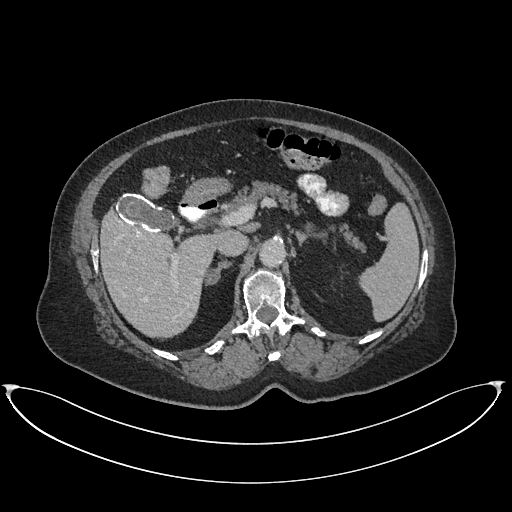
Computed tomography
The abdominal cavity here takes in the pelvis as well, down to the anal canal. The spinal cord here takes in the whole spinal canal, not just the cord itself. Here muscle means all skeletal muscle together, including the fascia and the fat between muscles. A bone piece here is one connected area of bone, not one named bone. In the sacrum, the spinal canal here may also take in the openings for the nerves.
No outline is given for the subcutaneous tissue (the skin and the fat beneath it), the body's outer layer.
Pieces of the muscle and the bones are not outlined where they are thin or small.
{"abdominal_cavity":[[[247,120],[297,127],[363,150],[408,202],[422,249],[417,281],[401,311],[382,327],[363,336],[329,331],[280,271],[262,267],[243,279],[241,289],[234,283],[230,319],[198,347],[156,347],[115,311],[100,274],[92,216],[106,180],[145,147]]],"bones":[{"outer":[[259,268],[281,273],[286,287],[284,301],[286,310],[291,314],[303,317],[306,321],[304,324],[294,324],[283,335],[275,330],[272,342],[264,333],[252,339],[249,339],[245,333],[230,333],[237,323],[243,323],[247,318],[242,284],[248,275]],"hole":[[264,306],[271,306],[272,307],[275,308],[277,310],[277,315],[275,317],[275,318],[273,320],[272,320],[269,323],[266,323],[265,322],[263,322],[262,321],[261,321],[259,319],[258,319],[256,316],[256,314],[257,313],[257,312],[261,308],[262,308]]},[[424,248],[426,248],[427,249],[427,274],[426,275],[426,277],[424,279],[424,281],[421,287],[415,293],[415,288],[416,287],[416,285],[418,281],[418,277],[419,276],[419,272],[420,271],[420,265],[421,264],[421,258],[422,257],[422,250]],[[93,243],[95,243],[96,244],[99,250],[98,251],[98,255],[97,256],[97,259],[98,260],[98,266],[99,267],[99,272],[98,274],[96,274],[94,271],[94,269],[93,268],[93,264],[92,263],[92,259],[91,258],[91,254],[90,253],[90,249]],[[219,339],[223,339],[225,341],[225,343],[222,346],[222,347],[221,348],[221,349],[218,352],[216,352],[213,354],[208,354],[207,353],[206,353],[204,351],[204,348],[205,347],[207,347],[208,346],[209,346],[212,343],[213,343],[215,341],[216,341]],[[380,328],[383,328],[383,331],[382,332],[382,333],[379,336],[378,336],[373,340],[372,340],[367,343],[365,343],[364,344],[359,344],[357,342],[361,338],[362,338],[365,335],[366,335],[369,333],[371,333],[373,331],[374,331],[377,329],[379,329]],[[152,346],[156,348],[159,348],[160,349],[162,349],[163,350],[165,350],[166,351],[171,352],[174,355],[177,356],[179,359],[178,360],[170,360],[169,359],[164,358],[158,355],[156,353],[155,353],[152,350],[151,348]],[[273,350],[278,350],[279,351],[279,352],[280,353],[280,357],[277,360],[275,360],[274,361],[269,361],[268,360],[268,359],[267,358],[267,356],[268,355],[268,354],[269,353],[269,352],[270,351],[272,351]],[[313,326],[317,326],[318,327],[319,327],[322,330],[323,330],[324,331],[325,331],[326,332],[326,335],[325,336],[323,336],[322,337],[321,336],[318,336],[317,335],[316,335],[315,334],[314,334],[310,330],[310,328],[311,327],[312,327]]],"torso":[[[226,98],[288,101],[351,117],[397,140],[423,166],[442,197],[455,240],[457,332],[441,360],[388,386],[336,400],[305,403],[275,387],[247,406],[213,410],[129,392],[63,362],[47,348],[35,313],[47,274],[52,216],[68,177],[114,135],[184,107]]],"spinal_cord":[[[264,306],[271,306],[272,307],[275,308],[277,310],[277,315],[275,317],[275,318],[273,320],[272,320],[269,323],[266,323],[265,322],[263,322],[262,321],[261,321],[259,319],[258,319],[256,316],[256,314],[257,313],[257,312],[261,308],[262,308]]],"muscle":[{"outer":[[253,115],[285,118],[329,126],[351,134],[358,139],[375,146],[390,156],[403,168],[414,182],[433,224],[435,241],[434,266],[426,291],[424,305],[425,314],[423,320],[411,333],[403,339],[394,343],[390,347],[376,353],[365,363],[355,369],[337,378],[319,382],[311,379],[301,378],[297,374],[286,370],[278,362],[271,362],[254,377],[244,379],[240,384],[225,390],[212,390],[188,383],[147,361],[116,348],[107,343],[97,333],[96,323],[94,320],[94,314],[96,312],[95,305],[85,293],[84,287],[81,283],[75,266],[74,257],[70,253],[69,237],[71,221],[75,205],[78,202],[82,191],[91,179],[104,166],[121,154],[146,140],[163,133],[202,124],[205,122]],"holes":[[[247,120],[297,127],[363,150],[408,202],[421,248],[427,249],[427,274],[373,340],[359,344],[362,335],[325,329],[303,307],[294,286],[287,287],[284,305],[289,313],[303,317],[304,324],[294,324],[283,335],[275,330],[272,342],[264,333],[252,339],[245,333],[231,334],[247,318],[242,290],[235,282],[230,319],[204,345],[173,350],[178,360],[155,353],[115,311],[90,253],[96,242],[92,210],[106,180],[145,147]],[[219,339],[223,339],[225,341],[225,343],[222,346],[222,347],[221,348],[221,349],[218,352],[216,352],[213,354],[208,354],[207,353],[206,353],[204,351],[204,348],[205,347],[207,347],[208,346],[209,346],[212,343],[213,343],[215,341],[216,341]],[[273,350],[278,350],[279,351],[279,352],[280,353],[280,357],[277,360],[275,360],[274,361],[269,361],[268,360],[268,359],[267,358],[267,356],[268,355],[268,354],[269,353],[269,352],[270,351],[272,351]],[[313,326],[317,326],[318,327],[319,327],[322,330],[323,330],[324,331],[325,331],[326,332],[326,335],[325,336],[323,336],[322,337],[321,336],[318,336],[317,335],[316,335],[315,334],[314,334],[310,330],[310,328],[311,327],[312,327]]]}]}